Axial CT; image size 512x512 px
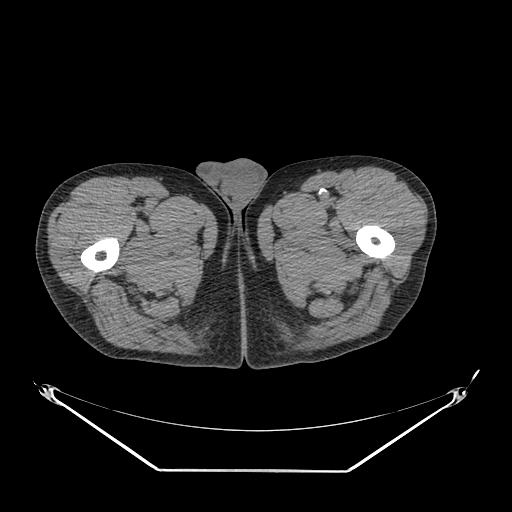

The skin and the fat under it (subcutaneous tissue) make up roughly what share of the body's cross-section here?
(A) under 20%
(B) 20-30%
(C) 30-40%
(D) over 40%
Answer: (C) 30-40%
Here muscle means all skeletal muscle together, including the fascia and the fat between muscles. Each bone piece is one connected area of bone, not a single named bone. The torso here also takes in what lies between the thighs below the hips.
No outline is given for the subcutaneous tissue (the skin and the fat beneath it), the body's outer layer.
{"left_leg":[[[350,154],[372,155],[397,162],[415,173],[430,191],[435,204],[437,229],[420,293],[411,309],[392,333],[383,340],[319,362],[298,363],[267,369],[252,369],[244,361],[242,281],[237,243],[237,234],[247,209],[269,174],[277,169],[287,164],[302,160]]],"torso":[[[240,157],[249,158],[261,164],[267,170],[268,175],[266,179],[251,199],[251,201],[246,209],[246,211],[244,214],[244,217],[238,228],[236,234],[236,229],[228,208],[218,195],[195,173],[195,167],[198,163],[202,161],[207,161],[208,160],[228,161]]],"right_leg":[[[115,162],[160,164],[181,168],[194,173],[217,195],[227,208],[235,229],[241,281],[243,362],[239,368],[184,367],[139,360],[111,358],[100,353],[84,341],[67,324],[54,305],[42,281],[35,257],[35,238],[43,205],[52,191],[68,177],[91,167]]],"muscle":[{"outer":[[109,174],[156,177],[203,203],[213,213],[217,226],[216,241],[203,269],[193,303],[188,308],[187,317],[201,332],[201,340],[205,345],[202,355],[125,349],[110,344],[99,334],[81,298],[67,288],[52,266],[48,255],[47,224],[53,206],[82,181]],"hole":[[102,237],[115,237],[117,238],[119,244],[119,248],[120,249],[119,250],[119,255],[116,262],[111,268],[107,270],[104,270],[103,271],[100,271],[94,273],[91,270],[88,269],[83,265],[80,260],[80,255],[81,252],[87,246],[93,244]]},{"outer":[[366,165],[398,173],[419,193],[427,206],[424,239],[412,256],[407,279],[391,296],[390,304],[377,330],[323,349],[310,352],[288,351],[282,340],[282,329],[291,315],[291,310],[261,252],[258,239],[260,214],[275,194],[301,177],[319,169],[324,171]],"hole":[[365,224],[379,224],[381,225],[381,227],[382,228],[388,231],[393,236],[395,241],[395,247],[394,248],[394,250],[384,259],[375,258],[374,257],[370,257],[368,256],[359,248],[358,245],[356,243],[355,236],[356,235],[357,229],[359,227]]}],"bones":[[[365,224],[379,224],[381,225],[381,227],[382,228],[388,231],[393,236],[395,241],[395,247],[394,248],[394,250],[384,259],[375,258],[374,257],[370,257],[368,256],[359,248],[358,245],[356,243],[355,236],[356,235],[357,229],[359,227]],[[102,237],[115,237],[117,238],[119,244],[119,248],[120,249],[119,250],[119,255],[116,262],[111,268],[107,270],[104,270],[103,271],[100,271],[94,273],[91,270],[88,269],[83,265],[80,260],[80,255],[81,252],[87,246],[93,244]]]}